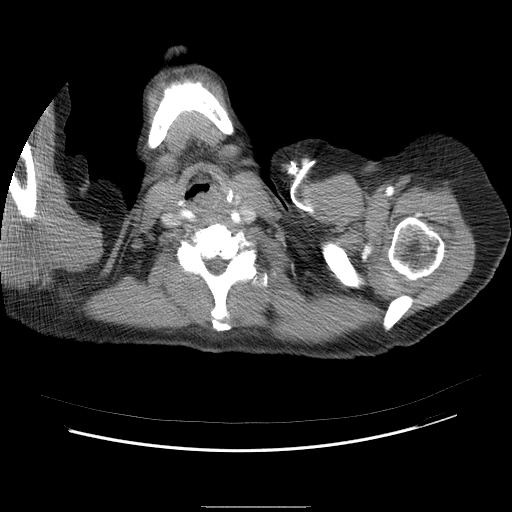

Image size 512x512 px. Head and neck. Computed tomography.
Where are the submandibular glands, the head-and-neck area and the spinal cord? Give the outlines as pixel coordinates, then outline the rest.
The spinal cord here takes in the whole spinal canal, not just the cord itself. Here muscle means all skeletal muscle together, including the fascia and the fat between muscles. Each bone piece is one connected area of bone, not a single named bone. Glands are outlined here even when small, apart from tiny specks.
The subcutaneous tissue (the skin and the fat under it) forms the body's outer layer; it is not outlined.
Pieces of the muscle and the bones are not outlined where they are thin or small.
The submandibular glands appear in 2 outlined pieces: piece 1: 228,144 233,144 236,146 239,146 241,147 242,149 242,153 241,155 239,156 237,156 234,158 227,158 223,160 216,160 214,159 212,156 212,153 213,151 222,146 224,146; piece 2: 165,154 169,154 176,159 176,160 177,161 177,163 176,164 175,167 174,167 171,169 157,169 156,168 155,168 152,164 152,162 153,161 153,160 156,157 157,157 158,156 160,156 161,155 164,155. The head and neck is outlined by 174,44 187,46 192,58 223,78 251,137 261,177 273,192 266,171 272,152 301,139 319,137 381,157 356,227 358,271 350,277 295,274 277,281 231,336 212,325 131,236 143,174 134,154 141,95 164,50, around a hole outlined by 204,183 207,184 207,185 208,186 208,188 207,189 207,190 206,190 205,191 199,191 198,192 193,194 191,196 191,197 188,199 185,198 185,197 184,196 184,194 187,189 192,187 196,184 203,184. The spinal cord is outlined by 217,256 220,257 223,260 226,260 228,261 228,262 223,272 222,272 220,274 213,274 211,272 210,272 210,271 207,268 206,266 206,264 205,263 205,261 204,260 209,260. The left arm is outlined by 426,129 439,129 449,132 463,140 477,154 490,181 504,202 510,228 510,240 505,254 492,279 469,303 445,324 414,317 401,306 386,300 361,272 356,258 357,227 374,178 380,167 382,157 394,154 414,135. The torso is outlined by 130,236 149,259 183,288 204,318 226,337 232,336 255,303 277,282 295,275 350,278 360,269 386,301 401,307 414,318 443,325 414,345 353,360 213,353 180,345 94,344 57,339 54,338 75,322 110,280. The muscle is outlined by 193,69 220,83 244,142 212,158 236,158 232,167 282,212 293,213 302,183 323,173 370,188 409,171 442,179 476,240 463,286 394,326 415,300 403,293 388,303 384,330 311,345 266,330 106,323 48,292 6,288 6,199 24,220 38,212 28,139 52,100 69,198 103,230 102,259 76,277 87,296 110,280 162,179 142,150 148,90 163,74 with holes at 212,223 225,224 233,234 241,230 254,242 258,273 268,274 266,287 240,282 229,290 229,317 223,320 231,328 223,331 214,329 211,322 215,303 210,289 200,276 184,271 176,256 181,240 190,240 196,230 and at 185,80 194,82 200,81 203,86 213,94 227,111 232,122 234,132 230,135 225,134 203,114 194,110 184,111 172,122 163,140 155,148 150,148 147,145 148,133 153,116 163,97 164,89 172,82 183,82 and at 415,214 418,216 417,217 419,219 431,226 439,234 444,242 444,254 439,265 430,274 422,276 414,280 410,280 407,279 403,275 399,274 392,267 389,261 387,253 395,226 404,218 408,216 414,216 and at 327,241 331,241 337,244 345,251 350,262 353,265 353,266 358,273 358,287 357,288 353,288 352,287 344,285 336,277 335,274 328,266 327,263 325,261 323,257 323,255 321,251 321,245 324,242 326,242 and at 165,154 169,154 176,159 176,160 177,161 177,163 176,164 175,167 174,167 171,169 157,169 156,168 155,168 152,164 152,162 153,161 153,160 156,157 157,157 158,156 160,156 161,155 164,155 and at 204,183 207,184 207,185 208,186 208,188 207,189 207,190 206,190 205,191 199,191 198,192 193,194 191,196 191,197 188,199 185,198 185,197 184,196 184,194 187,189 192,187 196,184 203,184 and at 366,243 368,243 371,246 371,252 368,255 368,256 367,257 367,258 366,259 366,260 365,261 363,261 361,259 361,257 360,256 361,255 361,252 362,251 362,250 363,249 363,246 and at 228,187 229,187 230,188 231,188 232,189 232,190 233,191 233,192 234,193 234,197 232,199 232,202 229,202 227,200 227,198 226,197 227,196 227,194 228,193. The right arm is outlined by 67,83 71,110 64,128 65,152 68,155 83,154 92,178 111,177 121,187 129,207 136,197 137,211 131,233 109,280 70,326 56,336 48,337 10,320 7,315 0,273 0,238 9,185 23,148 46,108. The bones appear in 6 outlined pieces: piece 1: 212,223 225,224 233,234 241,230 254,242 258,273 268,274 266,287 240,282 229,290 229,317 223,320 231,328 223,331 214,329 211,322 215,303 210,289 200,276 184,271 176,256 181,240 190,240 196,230; inner edge: 217,256 220,257 223,260 226,260 228,261 228,262 223,272 222,272 220,274 213,274 211,272 210,272 210,271 207,268 206,266 206,264 205,263 205,261 204,260 209,260; piece 2: 185,80 194,82 200,81 203,86 213,94 227,111 232,122 234,132 230,135 225,134 203,114 194,110 184,111 172,122 163,140 155,148 150,148 147,145 148,133 153,116 163,97 164,89 172,82 183,82; piece 3: 415,214 418,216 417,217 419,219 431,226 439,234 444,242 444,254 439,265 430,274 422,276 414,280 410,280 407,279 403,275 399,274 392,267 389,261 387,253 395,226 404,218 408,216 414,216; piece 4: 26,142 28,142 31,146 30,150 34,162 34,169 36,173 36,182 37,183 36,209 37,212 33,217 24,219 18,213 16,206 11,198 10,194 8,193 8,189 13,173 17,166 18,161 20,159 20,155; piece 5: 327,241 331,241 337,244 345,251 350,262 353,265 353,266 358,273 358,287 357,288 353,288 352,287 344,285 336,277 335,274 328,266 327,263 325,261 323,257 323,255 321,251 321,245 324,242 326,242; piece 6: 403,294 405,295 408,295 412,297 414,299 414,300 411,304 410,307 393,325 393,326 390,329 388,330 385,330 383,327 383,319 384,318 384,316 385,315 386,310 388,307 388,305 389,303 393,299.